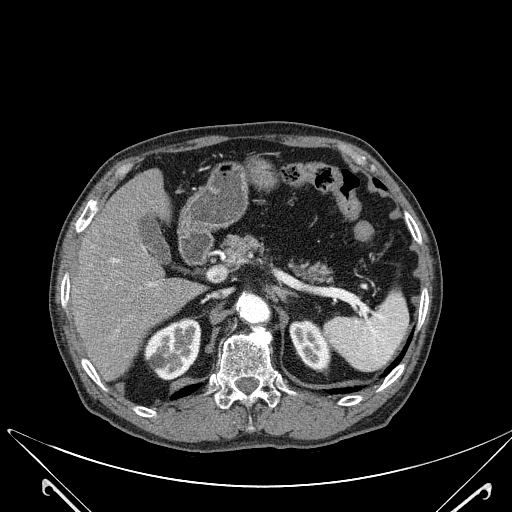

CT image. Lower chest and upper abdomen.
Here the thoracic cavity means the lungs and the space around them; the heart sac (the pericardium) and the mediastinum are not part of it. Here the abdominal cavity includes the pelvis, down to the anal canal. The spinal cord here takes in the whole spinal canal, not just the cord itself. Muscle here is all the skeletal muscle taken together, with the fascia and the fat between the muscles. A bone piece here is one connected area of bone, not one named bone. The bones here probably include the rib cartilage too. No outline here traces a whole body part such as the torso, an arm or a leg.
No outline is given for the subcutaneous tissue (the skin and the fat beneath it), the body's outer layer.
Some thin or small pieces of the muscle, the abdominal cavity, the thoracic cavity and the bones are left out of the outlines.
Outlines:
spinal cord: 241 378; 254 378; 255 379; 256 379; 257 380; 258 380; 258 385; 251 392; 250 392; 249 393; 245 393; 244 392; 243 392; 241 390; 240 390; 236 386; 236 385; 235 384; 235 382; 237 380; 238 380; 239 379; 240 379
muscle: 263 134; 288 134; 289 135; 321 136; 322 137; 337 138; 340 140; 352 143; 365 150; 375 158; 400 187; 404 195; 412 206; 427 234; 429 240; 428 245; 430 249; 430 254; 433 260; 432 265; 434 278; 432 282; 433 283; 432 306; 430 310; 430 319; 426 328; 425 337; 419 357; 412 372; 405 383; 381 406; 369 415; 362 418; 344 430; 325 438; 308 440; 307 439; 292 438; 286 434; 270 435; 265 433; 260 434; 258 433; 251 434; 246 433; 242 435; 238 435; 231 439; 222 438; 217 441; 216 440; 214 441; 204 440; 198 442; 185 442; 171 440; 158 436; 146 431; 124 418; 120 417; 97 399; 94 399; 86 391; 85 387; 80 379; 74 365; 72 357; 68 350; 67 342; 63 331; 60 326; 59 316; 56 310; 57 306; 55 302; 56 278; 60 263; 60 255; 63 240; 74 215; 87 195; 95 184; 116 162; 130 156; 138 155; 142 152; 151 149; 170 144; 184 142; 187 140; 203 136; 209 135; 238 136; 239 135; 262 135, around holes outlined by 238 139; 336 150; 344 143; 363 155; 367 163; 359 168; 385 186; 420 231; 422 244; 412 243; 420 285; 428 290; 424 321; 413 331; 401 359; 405 364; 402 373; 379 392; 376 389; 381 380; 354 392; 363 397; 356 404; 338 405; 344 394; 288 383; 299 395; 282 391; 273 408; 258 398; 249 409; 239 400; 222 409; 212 393; 203 394; 205 384; 193 393; 153 406; 157 416; 139 415; 132 409; 135 403; 106 384; 104 391; 84 370; 80 359; 85 355; 70 306; 65 310; 61 305; 62 278; 72 271; 84 233; 76 232; 75 223; 90 199; 97 198; 99 207; 126 176; 115 177; 120 166; 132 163; 131 172; 152 155 and by 250 415; 251 416; 251 418; 252 419; 252 420; 251 421; 251 424; 254 427; 254 430; 253 431; 250 431; 249 430; 247 430; 246 429; 246 428; 247 427; 247 426; 249 424; 249 421; 248 420; 248 418; 249 417; 249 416 and by 370 164; 371 164; 372 164; 373 164; 374 165; 375 166; 376 167; 376 168; 376 169; 376 170; 375 171; 374 171; 373 172; 372 172; 371 172; 370 171; 369 170; 369 169; 369 168; 369 167; 369 166; 369 165
bones 1: 257 326; 270 331; 272 365; 282 375; 287 385; 299 395; 282 391; 278 403; 273 408; 258 398; 249 409; 239 400; 234 401; 228 409; 222 409; 216 404; 212 393; 203 394; 208 379; 219 368; 225 339; 233 333; 248 333; 251 327, around a hole outlined by 241 378; 254 378; 255 379; 256 379; 257 380; 258 380; 258 385; 251 392; 250 392; 249 393; 245 393; 244 392; 243 392; 241 390; 240 390; 236 386; 236 385; 235 384; 235 382; 237 380; 238 380; 239 379; 240 379
bones 2: 95 198; 97 198; 98 199; 98 204; 97 205; 98 206; 98 210; 93 216; 93 217; 91 219; 85 229; 84 229; 83 231; 79 233; 76 232; 75 230; 75 223; 77 219; 83 211; 87 202; 90 199; 94 199
bones 3: 424 286; 425 286; 428 290; 429 302; 428 303; 427 312; 425 315; 424 321; 420 329; 417 332; 415 332; 415 327; 417 323; 417 318; 418 317; 418 309; 419 308; 419 302; 420 301; 420 294; 421 293; 421 289; 422 287
bones 4: 401 361; 402 361; 405 364; 405 366; 404 367; 404 369; 402 373; 392 383; 391 383; 388 386; 384 388; 381 391; 379 392; 376 392; 376 389; 382 382; 385 376; 387 374; 388 374
bones 5: 82 357; 85 357; 87 358; 87 359; 93 366; 96 372; 98 374; 101 381; 103 382; 103 383; 107 388; 107 391; 104 391; 102 389; 101 389; 100 387; 93 381; 93 380; 84 370; 84 369; 82 367; 82 365; 80 361; 80 359
bones 6: 403 210; 406 210; 411 215; 411 216; 415 221; 420 231; 420 233; 421 234; 421 237; 422 238; 422 244; 418 244; 413 239; 412 237; 412 235; 410 231; 408 229; 408 227; 404 219; 404 217; 403 216
bones 7: 339 143; 344 143; 348 146; 349 146; 353 150; 354 150; 358 153; 363 155; 366 158; 367 163; 363 166; 362 166; 361 165; 359 165; 357 163; 356 163; 347 154; 340 151; 340 150; 338 148; 338 144
bones 8: 66 271; 68 271; 69 272; 69 299; 68 300; 68 304; 67 305; 67 310; 65 310; 62 307; 62 306; 61 305; 61 282; 62 281; 62 278; 63 277; 63 275; 64 274; 64 273
bones 9: 347 394; 360 394; 362 395; 363 398; 362 400; 361 400; 358 403; 356 404; 353 404; 352 405; 349 405; 348 406; 343 406; 342 405; 338 405; 337 404; 337 401; 338 399; 339 399; 341 397
bones 10: 134 405; 141 405; 142 406; 145 406; 146 407; 148 407; 149 408; 152 408; 153 409; 155 409; 155 410; 157 412; 157 416; 154 416; 153 417; 145 417; 144 416; 142 416; 141 415; 139 415; 138 414; 137 414; 132 409; 132 407
bones 11: 128 163; 132 163; 132 167; 131 168; 131 169; 125 175; 124 175; 123 176; 122 176; 121 177; 115 177; 115 176; 114 175; 114 174; 115 173; 115 171; 120 166; 121 166; 122 165; 123 165; 124 164; 127 164
thoracic cavity 1: 192 384; 200 384; 201 385; 200 388; 197 391; 196 391; 193 393; 191 393; 188 395; 183 396; 178 399; 175 399; 174 400; 171 400; 170 399; 171 396; 175 392; 176 392; 178 390; 183 388; 185 386; 188 386; 189 385; 191 385
thoracic cavity 2: 411 332; 413 332; 413 334; 403 357; 401 360; 384 376; 384 377; 382 377; 382 375; 384 373; 386 368; 387 368; 388 366; 389 366; 390 364; 394 361; 394 360; 399 355; 400 352; 402 351; 402 349; 404 347; 408 339; 408 337
abdominal cavity: 238 139; 338 150; 386 190; 417 254; 421 288; 414 329; 377 383; 317 391; 287 383; 272 362; 271 331; 251 326; 224 339; 218 368; 201 388; 192 383; 160 405; 136 404; 102 381; 76 336; 69 300; 78 245; 109 193; 148 157